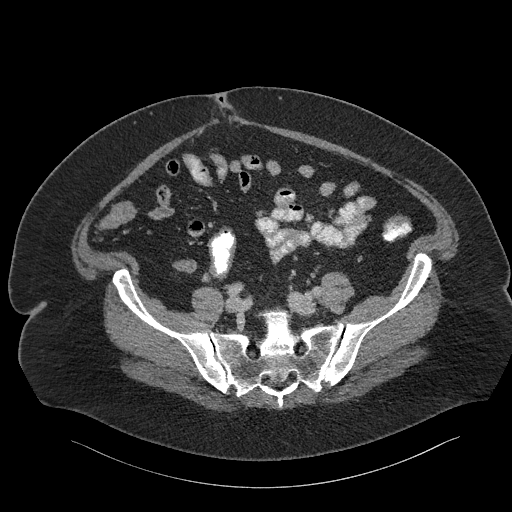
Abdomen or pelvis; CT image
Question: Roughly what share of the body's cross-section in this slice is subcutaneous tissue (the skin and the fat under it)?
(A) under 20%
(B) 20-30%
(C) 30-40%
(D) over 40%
Answer: (D) over 40%
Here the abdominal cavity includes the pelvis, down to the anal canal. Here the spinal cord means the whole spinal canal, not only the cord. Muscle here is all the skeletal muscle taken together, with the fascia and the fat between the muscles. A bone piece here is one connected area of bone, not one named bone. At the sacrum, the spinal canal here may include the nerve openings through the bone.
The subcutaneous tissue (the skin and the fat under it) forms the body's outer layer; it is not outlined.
{"muscle":[{"outer":[[223,115],[237,115],[248,120],[253,120],[268,125],[300,131],[339,144],[359,154],[368,157],[387,168],[401,173],[404,176],[413,180],[421,185],[430,193],[433,194],[447,210],[455,222],[455,226],[459,234],[459,245],[457,253],[451,259],[439,264],[439,280],[444,300],[441,304],[437,321],[431,330],[420,340],[424,344],[427,344],[430,350],[429,354],[425,358],[409,367],[402,374],[396,376],[386,382],[381,383],[363,395],[358,396],[355,399],[350,400],[348,402],[342,402],[328,405],[319,404],[303,405],[289,409],[288,408],[287,409],[268,410],[265,408],[247,408],[241,409],[233,413],[219,412],[215,410],[207,409],[176,393],[166,391],[161,388],[151,386],[132,379],[122,372],[118,367],[118,359],[122,352],[109,340],[108,336],[105,332],[105,328],[103,324],[103,299],[105,293],[106,279],[101,277],[93,280],[87,280],[84,279],[75,269],[70,251],[70,243],[75,228],[85,213],[112,187],[118,183],[138,162],[149,153],[174,137],[176,137],[196,126],[203,124],[212,118],[220,117]],"hole":[[223,125],[353,159],[435,218],[389,294],[333,321],[387,312],[418,252],[432,268],[417,295],[340,381],[300,383],[281,408],[258,387],[215,388],[120,299],[111,280],[127,267],[157,321],[204,332],[217,287],[169,309],[131,253],[88,244],[100,208]]},[[329,272],[341,272],[343,273],[347,276],[350,281],[351,285],[355,291],[354,295],[350,298],[345,304],[344,309],[340,313],[337,313],[336,312],[331,311],[324,306],[321,301],[321,299],[322,298],[322,290],[320,287],[321,286],[321,278],[322,276]]],"abdominal_cavity":[{"outer":[[223,125],[353,159],[431,211],[435,230],[409,244],[389,294],[299,332],[285,308],[260,310],[265,331],[253,345],[244,333],[212,330],[224,309],[217,287],[194,289],[192,311],[169,309],[140,286],[131,253],[90,247],[100,208],[184,141]],"hole":[[329,272],[341,272],[343,273],[347,276],[350,281],[351,285],[355,291],[354,295],[350,298],[345,304],[344,309],[340,313],[337,313],[336,312],[331,311],[324,306],[321,301],[321,299],[322,298],[322,290],[320,287],[321,286],[321,278],[322,276]]}],"spinal_cord":[[[292,371],[295,372],[295,378],[294,380],[280,390],[277,390],[271,387],[269,385],[267,385],[265,383],[262,382],[262,376],[263,375],[268,375],[269,376],[269,379],[271,382],[279,382],[280,383],[285,382],[286,381],[286,378],[289,375],[289,373]],[[250,344],[251,344],[253,346],[255,346],[258,349],[258,351],[257,352],[257,356],[256,357],[255,357],[254,358],[252,358],[250,356],[249,356],[247,354],[247,347]],[[299,342],[302,342],[304,344],[304,346],[305,347],[305,348],[304,349],[304,352],[303,353],[301,353],[300,354],[299,354],[298,353],[297,353],[295,351],[295,346],[296,345],[296,344],[297,343],[298,343]]],"torso":[[[242,86],[295,88],[353,103],[432,144],[468,176],[485,204],[511,272],[507,288],[511,353],[486,400],[453,407],[352,448],[270,461],[177,450],[39,400],[17,355],[28,317],[14,310],[7,289],[16,231],[31,197],[65,156],[113,120],[167,98]]],"bones":[{"outer":[[418,252],[432,268],[417,295],[366,333],[340,381],[318,392],[300,383],[281,408],[258,387],[239,397],[232,386],[215,388],[111,281],[127,267],[162,325],[244,334],[254,359],[266,331],[260,311],[285,309],[297,333],[371,321],[399,299]],"holes":[[[292,371],[295,372],[295,378],[294,380],[280,390],[277,390],[271,387],[269,385],[267,385],[265,383],[262,382],[262,376],[263,375],[268,375],[269,376],[269,379],[271,382],[279,382],[280,383],[285,382],[286,381],[286,378],[289,375],[289,373]],[[299,342],[302,342],[304,344],[304,346],[305,347],[305,348],[304,349],[304,352],[303,353],[301,353],[300,354],[299,354],[298,353],[297,353],[295,351],[295,346],[296,345],[296,344],[297,343],[298,343]]]}]}